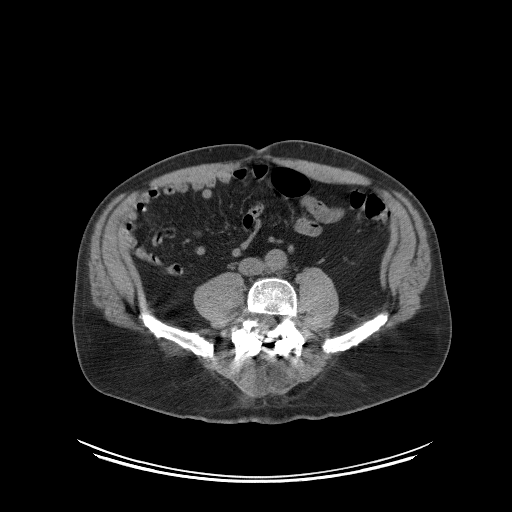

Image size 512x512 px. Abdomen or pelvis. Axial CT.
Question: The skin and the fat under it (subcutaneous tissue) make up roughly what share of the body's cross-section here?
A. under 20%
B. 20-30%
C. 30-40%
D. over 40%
Answer: C. 30-40%
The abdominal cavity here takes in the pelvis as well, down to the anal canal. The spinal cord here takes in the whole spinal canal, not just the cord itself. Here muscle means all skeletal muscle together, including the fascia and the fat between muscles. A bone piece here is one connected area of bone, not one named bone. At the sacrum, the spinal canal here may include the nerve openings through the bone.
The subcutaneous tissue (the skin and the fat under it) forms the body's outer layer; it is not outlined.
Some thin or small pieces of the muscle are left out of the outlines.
Outlines:
muscle: (262, 155) (301, 159) (329, 165) (333, 167) (347, 169) (362, 174) (371, 179) (374, 178) (380, 183) (389, 186) (396, 191) (400, 192) (411, 202) (419, 212) (424, 222) (424, 226) (428, 233) (429, 246) (431, 249) (430, 255) (432, 266) (430, 278) (420, 295) (421, 308) (410, 319) (399, 323) (393, 328) (381, 333) (377, 337) (362, 342) (372, 334) (377, 332) (387, 322) (389, 318) (389, 312) (387, 310) (382, 310) (352, 329) (341, 334) (326, 337) (320, 345) (321, 351) (325, 355) (333, 354) (337, 352) (344, 352) (341, 356) (339, 368) (330, 370) (321, 379) (316, 381) (314, 379) (309, 382) (300, 384) (283, 395) (267, 395) (263, 397) (254, 398) (243, 395) (241, 391) (229, 380) (219, 375) (216, 376) (213, 375) (209, 370) (201, 366) (189, 356) (166, 356) (159, 349) (156, 341) (152, 336) (128, 328) (120, 327) (108, 321) (104, 317) (103, 311) (96, 307) (92, 302) (87, 262) (89, 258) (90, 237) (94, 225) (105, 207) (112, 199) (118, 195) (128, 192) (134, 187) (148, 180) (181, 168) (206, 163) (226, 162) (249, 156); inner edge: (256, 158) (325, 183) (371, 186) (381, 196) (393, 227) (379, 264) (379, 283) (386, 299) (372, 314) (345, 328) (331, 329) (340, 307) (338, 292) (322, 269) (306, 267) (295, 278) (297, 314) (289, 330) (270, 349) (246, 324) (244, 279) (237, 272) (224, 271) (198, 285) (192, 295) (194, 307) (209, 327) (187, 330) (213, 343) (211, 360) (171, 340) (156, 338) (139, 318) (141, 305) (155, 314) (128, 250) (122, 222) (132, 200) (150, 188) (215, 176)
spinal cord: (264, 315) (272, 315) (273, 316) (275, 316) (277, 318) (277, 323) (272, 328) (270, 328) (269, 329) (267, 329) (266, 328) (266, 326) (264, 324) (264, 323) (262, 321) (262, 316) (263, 316)
abdominal cavity: (256, 158) (325, 183) (371, 186) (381, 196) (393, 227) (379, 264) (386, 299) (372, 314) (331, 329) (338, 292) (311, 266) (297, 274) (296, 288) (266, 276) (246, 294) (234, 271) (201, 283) (192, 301) (209, 327) (186, 329) (155, 315) (123, 233) (132, 200)
bones 1: (266, 277) (277, 277) (288, 281) (294, 287) (297, 293) (297, 314) (291, 319) (289, 330) (276, 341) (274, 346) (271, 349) (269, 347) (272, 347) (273, 344) (272, 343) (267, 344) (259, 335) (249, 328) (246, 324) (246, 315) (248, 309) (246, 305) (247, 292) (257, 279); inner edge: (264, 315) (272, 315) (273, 316) (275, 316) (277, 318) (277, 323) (272, 328) (270, 328) (269, 329) (267, 329) (266, 328) (266, 326) (264, 324) (264, 323) (262, 321) (262, 316) (263, 316)
bones 2: (141, 305) (144, 306) (149, 313) (154, 315) (163, 322) (183, 330) (196, 332) (201, 336) (203, 336) (210, 342) (212, 342) (214, 346) (214, 360) (196, 355) (190, 350) (183, 348) (177, 343) (171, 340) (166, 339) (163, 337) (156, 338) (144, 325) (143, 322) (138, 316)
bones 3: (382, 311) (387, 311) (388, 312) (388, 318) (386, 322) (377, 331) (372, 333) (360, 343) (355, 346) (352, 346) (349, 349) (344, 351) (337, 351) (328, 354) (325, 354) (322, 351) (321, 345) (326, 338) (341, 335) (350, 330) (352, 330) (365, 321) (372, 318) (379, 312)
torso: (287, 139) (317, 142) (361, 157) (403, 183) (424, 206) (438, 238) (452, 321) (449, 351) (437, 376) (416, 391) (363, 410) (279, 424) (210, 423) (179, 418) (93, 388) (80, 369) (75, 351) (72, 302) (80, 240) (99, 202) (133, 174) (171, 155) (224, 143) (260, 148)